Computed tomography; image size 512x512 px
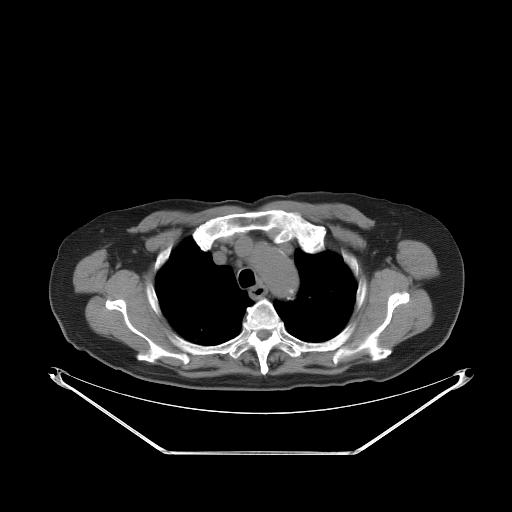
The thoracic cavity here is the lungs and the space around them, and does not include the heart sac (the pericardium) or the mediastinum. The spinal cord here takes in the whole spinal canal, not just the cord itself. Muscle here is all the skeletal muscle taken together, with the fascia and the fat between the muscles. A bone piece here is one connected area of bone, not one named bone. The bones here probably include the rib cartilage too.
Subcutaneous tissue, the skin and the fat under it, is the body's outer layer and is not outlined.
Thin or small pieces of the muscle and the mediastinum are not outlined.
The mediastinum is outlined by 253,230 267,232 276,244 295,239 301,248 297,248 293,254 300,282 296,297 292,301 285,302 276,299 272,302 266,297 254,301 245,290 238,286 233,270 229,265 219,265 213,261 208,250 215,240. The torso is outlined by 311,190 356,192 417,207 438,218 456,241 465,275 456,322 440,348 405,372 382,382 343,386 272,391 191,389 114,369 76,349 63,336 49,304 48,281 60,243 80,225 110,210 164,198 252,201 270,194. The spinal cord is outlined by 262,329 264,329 265,330 268,330 270,332 270,334 269,335 269,336 268,337 267,337 265,339 260,339 257,336 257,332 259,330 261,330. The muscle appears in 3 outlined pieces: piece 1: 276,200 340,202 373,219 375,225 362,232 367,243 359,254 370,275 394,263 400,240 427,244 440,272 425,287 434,312 434,320 427,329 402,341 393,351 379,344 378,337 390,323 395,308 410,300 406,290 394,291 387,297 382,322 357,346 344,345 356,327 354,322 348,323 354,306 358,310 367,293 367,281 363,277 357,280 358,261 343,247 340,254 326,249 327,230 323,225 307,220 298,211 281,208 211,217 196,226 191,236 173,248 171,241 157,253 153,264 154,284 149,280 145,283 145,294 153,311 159,317 163,314 174,330 167,338 180,352 164,348 136,328 123,298 107,298 104,306 122,314 126,326 147,342 147,351 135,356 127,345 89,327 84,314 87,298 75,293 72,283 75,266 83,257 98,249 106,250 112,269 128,269 141,275 154,256 147,251 141,233 126,229 150,213 165,209 196,212 225,205 254,210; piece 2: 250,348 252,348 256,354 261,376 253,376 248,374 225,374 219,376 193,378 182,376 161,365 142,361 153,363 162,357 172,357 180,360 185,365 190,361 189,355 196,356 213,354 228,354 233,359 237,359; piece 3: 274,347 276,347 292,358 298,357 302,353 307,352 334,351 332,355 332,362 335,365 337,365 343,357 350,356 363,350 366,350 373,362 355,364 337,374 295,372 280,375 266,375 269,370 267,358 269,353. The bones appear in 6 outlined pieces: piece 1: 402,291 409,300 394,308 377,337 392,350 385,358 373,361 363,349 335,364 334,350 292,357 274,346 265,375 252,347 237,358 189,354 185,364 172,356 138,360 148,342 127,326 119,310 105,306 107,299 123,299 127,316 131,324 153,342 174,353 182,351 170,332 204,346 223,343 241,331 246,308 262,298 306,342 326,341 354,323 343,345 355,348 385,319 388,297, around a hole outlined by 262,329 264,329 265,330 268,330 270,332 270,334 269,335 269,336 268,337 267,337 265,339 260,339 257,336 257,332 259,330 261,330; piece 2: 270,209 298,212 307,221 323,226 326,232 323,240 325,249 322,251 308,253 295,238 276,243 273,241 276,233 274,229 269,231 253,229 220,237 215,239 207,250 202,250 192,238 194,229 211,218 231,213; piece 3: 148,281 151,282 154,286 154,289 155,290 155,293 158,300 158,303 159,304 160,309 162,312 162,314 160,316 159,316 154,311 154,310 151,307 149,303 149,301 146,294 146,283; piece 4: 171,242 172,242 173,244 173,246 172,247 172,250 169,255 169,257 168,259 161,266 161,267 156,272 155,272 154,271 154,264 155,263 155,260 156,259 156,257 158,253 161,250 164,249 168,245 168,244; piece 5: 342,248 343,248 347,252 348,252 350,254 353,255 355,257 355,258 357,261 357,263 358,264 358,276 356,278 354,276 354,275 353,274 352,271 350,269 350,268 345,263 345,262 341,255 341,249; piece 6: 363,278 366,281 366,293 365,294 365,296 364,297 364,299 363,300 363,302 362,303 362,304 360,306 360,307 358,309 355,309 355,300 356,299 356,292 357,291 357,287 358,286 358,281 360,279 362,279. The thoracic cavity appears in 2 outlined pieces: piece 1: 189,237 191,237 202,251 210,253 212,261 216,265 229,266 237,286 245,291 247,296 254,302 245,308 240,331 235,336 217,344 204,345 187,340 179,335 164,315 156,293 154,285 156,273 169,259 173,249; piece 2: 297,249 300,249 308,254 315,254 325,250 339,254 357,281 354,305 346,325 337,334 323,341 306,341 291,334 286,329 285,324 273,303 276,300 289,303 295,300 297,297 301,282 300,274 294,260 294,254.